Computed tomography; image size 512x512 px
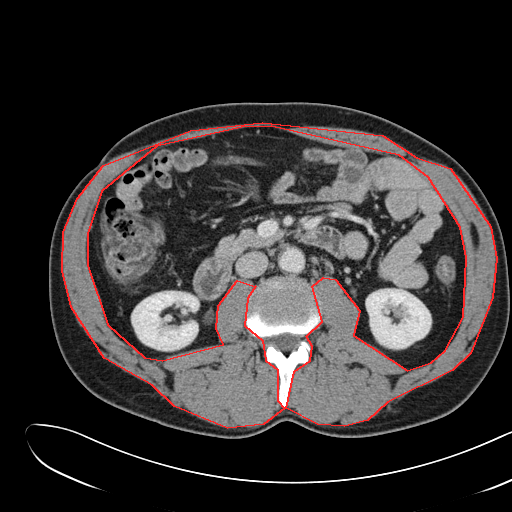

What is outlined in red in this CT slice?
red: muscle.
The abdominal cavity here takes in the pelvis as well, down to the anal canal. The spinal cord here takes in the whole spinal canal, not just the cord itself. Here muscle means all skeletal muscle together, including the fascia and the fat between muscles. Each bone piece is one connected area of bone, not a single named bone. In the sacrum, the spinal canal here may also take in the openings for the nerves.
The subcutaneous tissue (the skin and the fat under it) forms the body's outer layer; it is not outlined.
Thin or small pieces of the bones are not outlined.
The muscle is outlined by 262 122; 382 135; 416 157; 450 168; 490 226; 496 258; 492 297; 470 353; 452 370; 387 402; 367 420; 344 426; 317 424; 286 408; 294 371; 310 360; 312 346; 306 336; 322 321; 312 286; 323 277; 335 279; 359 310; 353 335; 407 370; 431 362; 445 350; 463 317; 466 257; 460 227; 428 177; 399 155; 271 126; 241 127; 156 146; 101 191; 87 233; 87 265; 107 324; 144 357; 162 360; 223 344; 216 328; 218 305; 237 280; 255 286; 247 298; 244 325; 262 340; 265 360; 277 369; 277 400; 284 408; 263 424; 227 428; 174 406; 152 385; 104 358; 71 307; 62 270; 63 232; 77 198; 103 165; 190 130. The abdominal cavity is outlined by 261 126; 399 156; 444 198; 461 233; 465 288; 459 327; 431 361; 407 369; 356 337; 360 310; 331 276; 311 286; 301 277; 273 276; 256 286; 237 279; 215 309; 223 343; 162 359; 144 356; 110 327; 87 261; 106 185; 156 147. The torso is outlined by 290 101; 340 105; 388 119; 443 149; 478 184; 502 232; 510 296; 506 334; 488 373; 449 414; 367 437; 334 437; 283 421; 252 436; 220 438; 163 426; 99 399; 66 365; 51 323; 49 249; 65 200; 118 140; 150 121; 209 104. The spinal cord is outlined by 283 333; 290 333; 293 335; 299 335; 300 337; 300 340; 299 341; 298 346; 295 349; 293 349; 289 352; 283 352; 281 350; 276 348; 271 344; 271 342; 270 341; 270 338; 271 337; 273 336; 276 336; 277 335; 279 335. The bones are outlined by 273 277; 305 280; 315 293; 321 312; 321 321; 305 336; 311 346; 309 360; 307 363; 299 363; 293 371; 286 407; 282 407; 278 400; 280 385; 278 369; 273 363; 266 360; 262 346; 263 340; 253 336; 245 325; 249 296; 262 281 with a hole at 283 333; 290 333; 293 335; 299 335; 300 337; 300 340; 299 341; 298 346; 295 349; 293 349; 289 352; 283 352; 281 350; 276 348; 271 344; 271 342; 270 341; 270 338; 271 337; 273 336; 276 336; 277 335; 279 335.